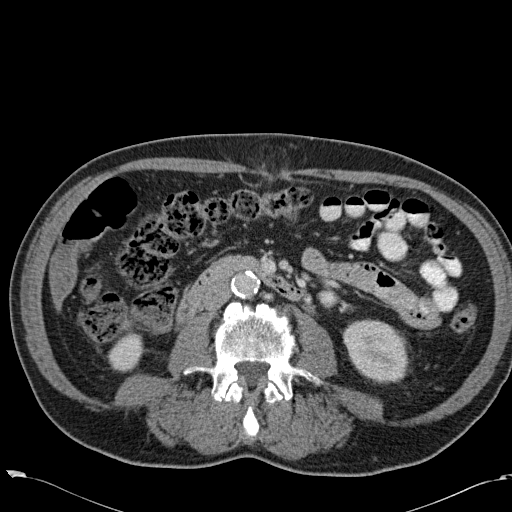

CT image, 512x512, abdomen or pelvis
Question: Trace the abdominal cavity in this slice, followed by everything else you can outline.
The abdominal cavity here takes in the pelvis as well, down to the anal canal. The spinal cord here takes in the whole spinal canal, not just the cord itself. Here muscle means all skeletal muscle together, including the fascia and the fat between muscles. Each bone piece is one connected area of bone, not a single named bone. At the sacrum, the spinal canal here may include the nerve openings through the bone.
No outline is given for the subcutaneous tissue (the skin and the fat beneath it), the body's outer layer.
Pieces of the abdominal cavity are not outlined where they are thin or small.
Answer: {"abdominal_cavity":[[[149,169],[429,195],[489,266],[481,358],[437,405],[387,419],[381,398],[328,379],[334,343],[309,313],[290,305],[295,335],[275,306],[232,300],[212,342],[213,311],[179,330],[169,376],[137,372],[113,399],[87,395],[47,335],[46,266],[92,188]]],"bones":[{"outer":[[232,301],[252,309],[265,303],[285,314],[297,344],[290,363],[324,382],[295,375],[292,397],[273,403],[259,389],[252,400],[259,429],[252,437],[242,426],[249,403],[245,393],[238,403],[217,401],[208,373],[183,374],[189,366],[215,363],[214,333]],"hole":[[244,361],[249,361],[250,362],[257,361],[258,362],[265,362],[267,363],[269,365],[269,367],[266,371],[265,381],[261,382],[260,381],[253,387],[249,386],[246,383],[244,377],[241,375],[240,376],[239,375],[238,371],[235,367],[235,365],[237,363]]}],"torso":[[[248,132],[347,140],[411,157],[471,190],[505,231],[511,242],[511,371],[485,413],[434,457],[416,465],[356,477],[300,474],[252,457],[189,469],[138,466],[74,441],[39,406],[15,349],[8,290],[19,244],[44,201],[74,170],[108,151],[174,136]]],"spinal_cord":[[[244,361],[249,361],[250,362],[257,361],[258,362],[265,362],[267,363],[269,365],[269,367],[266,371],[265,381],[261,382],[260,381],[253,387],[249,386],[246,383],[244,377],[241,375],[240,376],[239,375],[238,371],[235,367],[235,365],[237,363]]],"muscle":[{"outer":[[151,157],[189,157],[221,161],[231,161],[250,168],[255,168],[260,166],[265,167],[269,170],[274,169],[277,170],[282,167],[286,167],[289,169],[328,168],[384,172],[406,176],[422,181],[435,187],[448,196],[468,204],[475,209],[494,229],[506,253],[511,267],[511,331],[501,357],[495,366],[493,374],[485,385],[467,404],[455,412],[436,421],[425,424],[418,424],[413,427],[409,426],[407,427],[392,427],[391,426],[378,427],[365,425],[359,422],[356,426],[354,434],[340,451],[332,454],[314,455],[299,461],[285,459],[269,451],[261,445],[254,446],[245,444],[239,445],[231,450],[211,455],[195,455],[178,452],[166,448],[158,441],[152,433],[148,432],[148,427],[139,412],[128,411],[126,413],[124,410],[95,412],[86,408],[82,403],[77,400],[72,399],[63,394],[56,389],[40,372],[26,343],[25,339],[26,331],[22,320],[20,308],[20,288],[21,277],[27,252],[37,230],[42,225],[52,207],[59,198],[70,188],[88,176],[94,176],[98,173],[112,169],[114,167],[133,160]],"hole":[[149,169],[306,175],[429,195],[470,230],[489,266],[493,319],[481,358],[437,405],[387,419],[381,398],[328,379],[338,374],[334,343],[291,304],[297,349],[289,361],[324,383],[295,375],[292,397],[273,403],[259,389],[259,429],[250,437],[245,393],[238,403],[217,401],[208,373],[183,374],[216,360],[216,314],[203,311],[179,330],[169,376],[137,372],[113,399],[87,395],[61,369],[47,335],[46,266],[92,188]]}]}